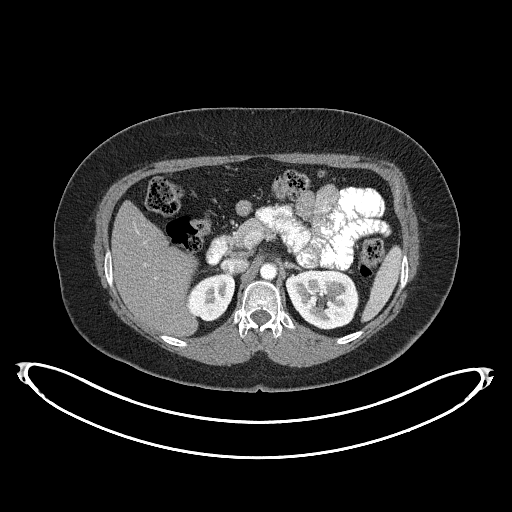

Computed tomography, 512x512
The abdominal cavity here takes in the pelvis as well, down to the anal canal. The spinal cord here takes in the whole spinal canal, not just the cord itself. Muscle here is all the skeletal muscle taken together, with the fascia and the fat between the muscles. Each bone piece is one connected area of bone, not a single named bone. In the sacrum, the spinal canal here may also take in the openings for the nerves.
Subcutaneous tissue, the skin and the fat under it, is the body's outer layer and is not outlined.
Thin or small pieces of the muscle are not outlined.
The muscle is outlined by 297 368; 308 367; 312 365; 319 364; 351 351; 364 343; 390 322; 398 314; 404 304; 405 299; 408 293; 409 284; 414 278; 417 271; 417 268; 419 265; 419 257; 420 256; 419 243; 420 240; 419 239; 417 216; 415 210; 413 208; 411 194; 408 188; 408 185; 403 173; 392 161; 383 157; 378 158; 375 156; 366 156; 358 154; 344 154; 343 153; 308 153; 307 152; 306 153; 303 152; 290 152; 289 153; 286 152; 285 153; 253 153; 252 154; 205 155; 204 156; 195 156; 194 157; 186 157; 185 158; 164 159; 152 162; 118 178; 109 186; 102 197; 102 199; 98 204; 98 208; 95 215; 95 234; 92 248; 93 249; 94 262; 97 274; 100 278; 102 286; 107 291; 109 296; 108 302; 111 308; 123 322; 127 324; 135 331; 149 340; 156 343; 162 348; 170 352; 173 352; 180 356; 196 360; 202 363; 210 365; 232 365; 237 363; 242 363; 249 360; 258 351; 261 351; 264 352; 269 359; 278 364; 286 365; 289 367; 296 367, around a hole outlined by 177 346; 186 346; 185 338; 211 331; 232 313; 241 337; 249 328; 259 332; 270 328; 276 338; 283 325; 296 327; 292 318; 314 331; 335 336; 338 344; 359 337; 363 332; 361 327; 375 318; 407 282; 408 262; 402 252; 396 216; 398 179; 392 177; 394 198; 387 182; 371 170; 252 158; 156 173; 133 184; 117 202; 112 214; 109 247; 104 258; 105 277; 132 313; 159 331; 164 341. The torso is outlined by 239 392; 310 389; 373 371; 405 352; 441 309; 452 286; 459 257; 459 217; 437 164; 405 132; 379 119; 334 108; 193 108; 148 118; 118 131; 94 148; 71 175; 54 218; 53 253; 62 301; 74 328; 102 353; 151 375; 186 385. The spinal cord is outlined by 258 324; 262 324; 263 323; 264 323; 266 321; 267 321; 270 318; 270 316; 269 315; 269 314; 268 313; 267 313; 265 311; 263 311; 262 310; 259 310; 258 311; 255 311; 253 313; 252 313; 251 314; 251 317; 252 318; 252 319. The bones appear in 6 outlined pieces: piece 1: 276 338; 281 334; 283 325; 291 329; 294 329; 296 325; 281 307; 282 303; 278 288; 272 283; 263 280; 253 281; 243 291; 241 305; 233 314; 233 323; 238 325; 239 335; 241 337; 244 336; 249 328; 253 328; 259 332; 270 328, around a hole outlined by 258 324; 262 324; 263 323; 264 323; 266 321; 267 321; 270 318; 270 316; 269 315; 269 314; 268 313; 267 313; 265 311; 263 311; 262 310; 259 310; 258 311; 255 311; 253 313; 252 313; 251 314; 251 317; 252 318; 252 319; piece 2: 115 292; 114 290; 114 286; 113 285; 113 276; 112 275; 112 269; 111 268; 111 254; 109 251; 109 249; 107 248; 106 250; 106 252; 105 253; 105 257; 104 258; 104 271; 105 272; 105 277; 107 280; 107 282; 109 286; piece 3: 397 294; 398 294; 401 291; 401 290; 405 286; 407 282; 407 277; 408 276; 408 262; 407 261; 407 257; 405 254; 403 254; 402 255; 402 263; 401 264; 401 271; 400 272; 400 281; 399 282; 399 285; 398 286; 398 289; 397 290; piece 4: 338 344; 343 344; 344 343; 349 342; 357 337; 359 337; 362 334; 363 331; 362 330; 358 330; 357 331; 352 332; 349 334; 347 334; 344 336; 342 336; 341 337; 339 337; 338 338; 337 338; 336 339; 336 343; 337 343; piece 5: 177 346; 186 346; 187 345; 187 343; 185 341; 181 340; 180 339; 178 339; 177 338; 175 338; 174 337; 172 337; 171 336; 168 336; 164 334; 161 334; 160 335; 160 338; 161 338; 164 341; 170 344; 172 344; 173 345; 176 345; piece 6: 396 213; 397 213; 398 211; 398 206; 397 205; 397 201; 398 199; 397 197; 400 192; 400 189; 399 188; 399 185; 398 184; 398 179; 394 175; 393 175; 392 177; 392 179; 394 182; 394 185; 395 186; 395 197; 394 198; 394 209. The abdominal cavity is outlined by 181 339; 203 335; 223 323; 240 303; 245 286; 256 279; 279 288; 282 302; 295 321; 325 335; 344 335; 375 318; 397 289; 403 253; 387 182; 367 169; 252 158; 156 173; 133 184; 117 202; 109 224; 114 285; 132 313; 161 333.